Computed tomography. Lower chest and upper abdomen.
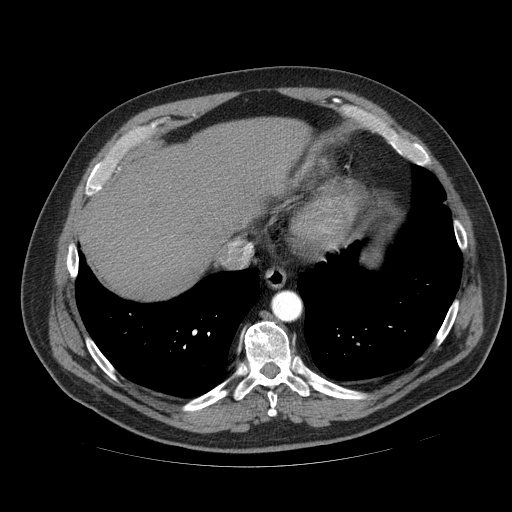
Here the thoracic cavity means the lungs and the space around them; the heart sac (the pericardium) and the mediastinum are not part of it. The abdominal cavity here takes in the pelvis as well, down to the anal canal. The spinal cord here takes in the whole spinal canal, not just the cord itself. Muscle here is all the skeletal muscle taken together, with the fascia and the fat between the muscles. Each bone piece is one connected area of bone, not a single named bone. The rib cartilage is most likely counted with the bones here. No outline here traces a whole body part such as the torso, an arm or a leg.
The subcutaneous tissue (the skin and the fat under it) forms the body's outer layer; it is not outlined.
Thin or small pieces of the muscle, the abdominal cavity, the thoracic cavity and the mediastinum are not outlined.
The bones appear in 7 outlined pieces: piece 1: (262, 320) (273, 321) (285, 331) (310, 369) (369, 396) (344, 399) (312, 388) (309, 395) (302, 396) (280, 383) (273, 389) (277, 413) (270, 416) (268, 388) (257, 384) (239, 400) (230, 392) (200, 409) (183, 411) (184, 403) (233, 372) (236, 359) (245, 356) (246, 329), around a hole outlined by (266, 363) (273, 363) (276, 366) (277, 366) (278, 367) (278, 368) (279, 369) (279, 371) (272, 378) (270, 378) (269, 377) (267, 377) (261, 371) (262, 370) (262, 368) (264, 366) (264, 365); piece 2: (167, 116) (171, 118) (171, 121) (161, 126) (166, 128) (164, 131) (156, 133) (146, 141) (132, 148) (119, 162) (120, 168) (111, 174) (102, 188) (91, 196) (85, 195) (84, 189) (91, 170) (95, 164) (104, 157) (110, 147) (121, 135) (136, 126) (147, 124) (153, 120); piece 3: (346, 103) (354, 105) (381, 117) (403, 138) (405, 138) (411, 142) (416, 142) (420, 144) (424, 148) (431, 160) (431, 164) (429, 168) (412, 163) (400, 155) (379, 134) (371, 132) (368, 129) (360, 126) (357, 122) (336, 110) (335, 109) (339, 105); piece 4: (85, 335) (89, 335) (89, 336) (92, 339) (92, 340) (102, 353) (102, 354) (108, 360) (108, 361) (116, 370) (117, 372) (116, 376) (117, 378) (119, 379) (119, 383) (114, 381) (106, 373) (105, 373) (93, 359) (86, 347) (86, 344) (84, 340) (84, 336); piece 5: (455, 298) (457, 298) (459, 300) (459, 306) (458, 307) (458, 310) (457, 311) (455, 319) (446, 337) (443, 340) (443, 341) (440, 344) (440, 345) (436, 349) (434, 349) (435, 345) (433, 341) (435, 338) (435, 336) (437, 332) (439, 330) (452, 302); piece 6: (71, 241) (73, 241) (76, 243) (76, 247) (77, 248) (77, 254) (78, 255) (78, 268) (77, 269) (77, 276) (74, 281) (72, 280) (70, 277) (70, 274) (68, 271) (68, 269) (67, 268) (67, 264) (66, 263) (66, 257) (67, 256) (67, 251) (68, 250) (68, 244); piece 7: (453, 218) (456, 218) (460, 221) (460, 222) (462, 224) (466, 232) (466, 236) (467, 237) (467, 247) (466, 249) (462, 252) (460, 248) (458, 246) (458, 244) (456, 240) (456, 237) (455, 236) (455, 233) (454, 232) (454, 227) (453, 226). The spinal cord is outlined by (266, 363) (273, 363) (276, 366) (277, 366) (278, 367) (278, 368) (279, 369) (279, 371) (272, 378) (270, 378) (269, 377) (267, 377) (261, 371) (262, 370) (262, 368) (264, 366) (264, 365). The mediastinum appears in 2 outlined pieces: piece 1: (262, 223) (275, 243) (294, 253) (309, 257) (326, 257) (326, 261) (308, 267) (296, 278) (305, 310) (300, 340) (293, 346) (286, 331) (273, 320) (258, 320) (245, 329) (242, 356) (237, 351) (238, 329) (260, 295) (259, 270) (252, 267) (214, 271) (212, 267) (222, 243); piece 2: (364, 129) (368, 130) (371, 133) (379, 135) (400, 156) (411, 163) (410, 165) (411, 191) (410, 192) (410, 207) (409, 208) (400, 205) (393, 194) (387, 188) (374, 187) (373, 178) (370, 171) (362, 162) (356, 151) (351, 146) (348, 145) (350, 143) (350, 139) (355, 131). The pericardium is outlined by (331, 141) (343, 142) (355, 151) (369, 171) (372, 178) (373, 193) (369, 198) (369, 205) (363, 219) (344, 247) (337, 252) (327, 253) (325, 256) (309, 256) (294, 252) (275, 242) (268, 234) (265, 219) (272, 207) (282, 201) (294, 189) (298, 171) (306, 158) (309, 158). The thoracic cavity appears in 2 outlined pieces: piece 1: (412, 164) (429, 169) (445, 191) (444, 202) (462, 254) (459, 285) (432, 342) (417, 359) (365, 387) (345, 386) (310, 368) (294, 348) (301, 340) (306, 316) (297, 278) (326, 262) (327, 254) (338, 254) (356, 241) (363, 243) (357, 263) (367, 270) (381, 269) (411, 207); piece 2: (77, 242) (85, 262) (104, 288) (122, 299) (140, 303) (161, 302) (174, 298) (216, 272) (257, 268) (259, 295) (238, 326) (236, 351) (241, 357) (235, 359) (232, 372) (211, 389) (189, 399) (162, 395) (130, 381) (119, 373) (90, 336) (76, 303) (75, 281) (79, 268). The abdominal cavity appears in 2 outlined pieces: piece 1: (262, 91) (334, 109) (363, 129) (356, 129) (348, 144) (331, 140) (306, 157) (293, 189) (271, 207) (264, 222) (222, 242) (211, 267) (215, 272) (187, 290) (166, 300) (140, 302) (104, 287) (77, 241) (78, 220) (88, 200) (121, 168) (120, 162) (132, 149) (237, 96); piece 2: (374, 188) (387, 189) (400, 206) (409, 209) (404, 224) (395, 236) (392, 245) (385, 251) (383, 265) (377, 270) (367, 269) (358, 263) (363, 242) (356, 240) (341, 249) (348, 244) (364, 219) (368, 211) (368, 206) (370, 205) (370, 198) (372, 197) (372, 193) (374, 193). The muscle is outlined by (299, 86) (343, 89) (350, 92) (356, 93) (376, 103) (385, 109) (403, 128) (418, 136) (425, 143) (432, 154) (442, 165) (449, 176) (455, 190) (458, 193) (464, 206) (466, 208) (472, 223) (473, 235) (475, 239) (476, 256) (478, 262) (478, 270) (482, 283) (483, 314) (484, 315) (484, 320) (483, 321) (484, 331) (477, 344) (464, 358) (457, 363) (434, 377) (423, 382) (393, 403) (383, 408) (376, 410) (366, 416) (358, 418) (352, 421) (336, 423) (331, 426) (325, 426) (324, 427) (305, 426) (294, 423) (288, 419) (280, 419) (279, 418) (259, 423) (244, 432) (231, 432) (230, 431) (229, 432) (198, 433) (169, 425) (143, 414) (102, 390) (98, 389) (94, 385) (85, 381) (73, 373) (64, 369) (52, 355) (52, 351) (49, 343) (49, 337) (48, 336) (48, 316) (50, 309) (49, 301) (54, 280) (54, 267) (56, 260) (58, 237) (62, 230) (63, 224) (67, 216) (68, 209) (70, 205) (70, 201) (74, 190) (78, 184) (89, 161) (112, 134) (124, 122) (138, 112) (147, 108) (177, 100) (203, 96) (208, 94) (225, 92) (226, 91) (243, 90) (257, 87) (298, 87); inner edge: (262, 91) (332, 109) (354, 105) (424, 148) (444, 202) (466, 232) (459, 306) (436, 349) (432, 342) (404, 369) (356, 387) (365, 399) (312, 388) (302, 396) (280, 383) (273, 389) (277, 413) (270, 416) (268, 388) (257, 384) (239, 400) (230, 392) (183, 411) (187, 398) (162, 395) (118, 372) (118, 383) (93, 359) (67, 268) (68, 244) (77, 242) (78, 220) (92, 197) (84, 193) (90, 172) (121, 135) (167, 116) (171, 121) (161, 126) (173, 128).